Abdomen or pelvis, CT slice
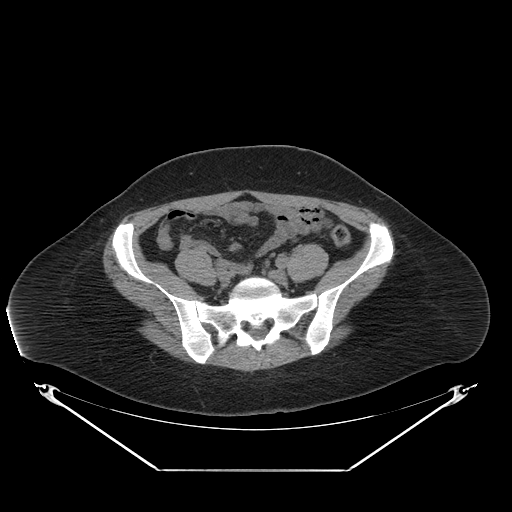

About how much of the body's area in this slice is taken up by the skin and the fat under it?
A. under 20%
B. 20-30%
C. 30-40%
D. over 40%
Answer: D. over 40%
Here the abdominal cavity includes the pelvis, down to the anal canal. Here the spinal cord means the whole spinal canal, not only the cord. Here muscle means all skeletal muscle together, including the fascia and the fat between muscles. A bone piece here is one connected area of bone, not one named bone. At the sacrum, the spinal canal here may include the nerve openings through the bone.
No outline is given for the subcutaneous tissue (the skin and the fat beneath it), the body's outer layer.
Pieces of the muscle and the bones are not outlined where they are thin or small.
{"muscle":[[[242,189],[347,202],[377,212],[389,224],[397,251],[393,263],[388,267],[381,283],[351,309],[347,320],[354,329],[338,345],[318,354],[330,341],[337,302],[343,290],[361,274],[392,260],[395,248],[388,227],[382,222],[371,220],[368,223],[368,249],[356,270],[342,282],[318,294],[314,291],[306,293],[315,287],[321,276],[296,283],[288,274],[287,268],[288,258],[293,249],[300,244],[319,245],[328,255],[326,271],[334,262],[351,257],[362,247],[365,239],[364,232],[319,205],[298,206],[268,203],[248,193],[205,210],[169,210],[139,235],[139,245],[145,258],[150,262],[165,264],[177,275],[174,262],[182,250],[194,248],[204,250],[209,256],[215,272],[214,282],[209,285],[193,281],[187,282],[203,297],[203,300],[177,296],[148,277],[135,257],[134,223],[122,221],[117,224],[111,237],[111,248],[117,263],[130,276],[156,287],[171,302],[178,320],[181,345],[187,355],[199,364],[187,363],[170,355],[136,330],[141,318],[140,311],[112,286],[103,271],[103,248],[112,228],[130,212],[178,199]],[[313,311],[303,337],[309,354],[312,356],[274,368],[252,372],[203,365],[215,351],[213,335],[205,325],[210,326],[215,331],[219,347],[224,346],[234,336],[236,346],[252,347],[259,352],[265,345],[271,345],[277,341],[282,332],[292,329],[304,315]]],"bones":[{"outer":[[371,221],[387,227],[392,258],[342,290],[315,355],[304,340],[313,310],[259,351],[234,335],[219,346],[205,324],[214,351],[197,363],[172,302],[112,248],[118,224],[132,222],[141,271],[188,300],[224,304],[252,276],[286,297],[318,295],[357,270]],"hole":[[270,319],[273,320],[274,323],[273,325],[267,330],[267,332],[265,334],[264,337],[260,339],[255,339],[250,334],[246,333],[244,328],[242,327],[241,325],[242,322],[247,321],[249,322],[250,325],[253,328],[259,328],[263,324],[264,324],[266,321]]}],"torso":[[[256,144],[287,144],[326,154],[357,172],[456,244],[478,269],[490,303],[489,329],[473,356],[459,363],[427,368],[350,399],[298,411],[244,416],[202,415],[136,402],[59,367],[23,357],[7,300],[16,278],[39,251],[139,176],[166,160],[203,149]]],"abdominal_cavity":[[[245,194],[319,206],[363,232],[363,243],[326,270],[319,244],[296,245],[289,277],[296,284],[320,276],[304,294],[283,295],[252,275],[226,302],[210,304],[188,282],[216,280],[204,249],[182,249],[177,274],[148,260],[139,238],[169,211],[205,211]]],"spinal_cord":[[[270,319],[273,320],[274,323],[273,325],[267,330],[267,332],[265,334],[264,337],[260,339],[255,339],[250,334],[246,333],[244,328],[242,327],[241,325],[242,322],[247,321],[249,322],[250,325],[253,328],[259,328],[263,324],[264,324],[266,321]]]}